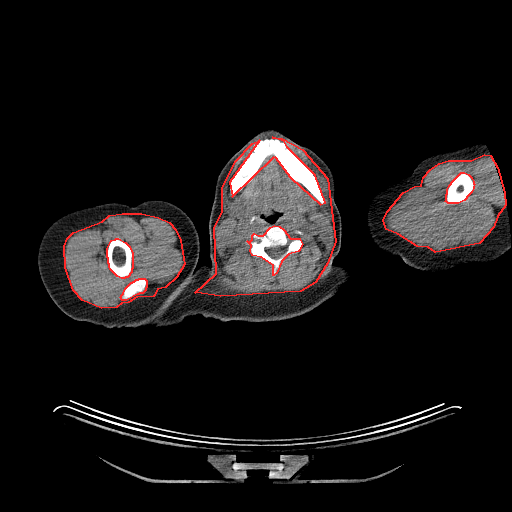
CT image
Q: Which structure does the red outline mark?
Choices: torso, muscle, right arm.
A: red: muscle.
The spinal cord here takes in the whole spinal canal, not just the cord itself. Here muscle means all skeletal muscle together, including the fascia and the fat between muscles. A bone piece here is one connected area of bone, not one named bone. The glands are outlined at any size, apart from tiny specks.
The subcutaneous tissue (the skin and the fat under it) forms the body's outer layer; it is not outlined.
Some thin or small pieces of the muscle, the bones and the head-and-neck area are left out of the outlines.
The muscle appears in 3 outlined pieces: piece 1: 272 137; 282 138; 302 149; 327 178; 335 241; 327 263; 315 282; 300 291; 220 296; 195 292; 216 273; 214 227; 222 212; 222 188; 235 161; 252 143; 259 140; 229 182; 232 196; 274 156; 290 177; 320 204; 325 202; 315 175; 287 147; 284 141; inner edge: 274 225; 279 226; 283 229; 290 238; 299 238; 302 244; 298 251; 288 254; 281 261; 276 273; 273 275; 273 265; 261 257; 252 255; 250 251; 251 245; 247 241; 250 241; 252 239; 252 235; 254 233; 258 235; 263 235; 270 227; piece 2: 122 213; 141 213; 158 217; 169 222; 175 229; 180 240; 184 264; 176 277; 165 287; 157 289; 153 296; 136 297; 128 302; 121 303; 116 307; 101 308; 82 300; 73 290; 65 267; 64 246; 67 238; 73 232; 102 221; 109 215, around holes outlined by 116 238; 118 238; 125 242; 128 245; 132 252; 132 268; 131 269; 131 272; 127 277; 125 277; 124 278; 121 278; 117 276; 110 269; 109 267; 109 264; 108 263; 108 258; 107 257; 107 248; 111 240; 115 239 and by 139 278; 144 278; 146 280; 146 287; 145 288; 145 290; 142 293; 139 293; 138 294; 137 294; 126 300; 122 300; 120 297; 121 296; 121 295; 123 293; 125 288; 131 282; 132 282; 133 281; 134 281; 136 279; 138 279; piece 3: 484 154; 490 155; 497 167; 504 192; 505 205; 497 216; 493 227; 479 243; 435 252; 428 247; 417 246; 398 234; 386 229; 383 220; 387 211; 403 192; 414 186; 421 185; 423 177; 430 169; 439 163; 448 160; 471 160 with a hole at 461 172; 464 172; 468 174; 471 177; 473 181; 473 183; 474 184; 473 186; 473 188; 471 192; 466 197; 466 198; 464 200; 458 203; 448 203; 446 201; 445 201; 446 199; 446 194; 447 193; 447 189; 449 185; 451 183; 451 182. The head and neck is outlined by 268 128; 281 132; 294 142; 308 147; 315 152; 330 168; 335 182; 334 200; 341 216; 341 244; 333 260; 333 263; 336 264; 319 285; 304 290; 273 293; 243 291; 226 280; 210 264; 208 222; 217 177; 227 161; 238 150; 253 136, around a hole outlined by 279 213; 279 216; 278 216; 277 217; 277 219; 275 221; 274 221; 273 222; 270 222; 269 221; 268 221; 267 220; 266 220; 266 217; 267 217; 268 216; 270 216; 271 215; 272 215; 273 214; 278 214. The bones appear in 5 outlined pieces: piece 1: 266 138; 276 138; 284 142; 286 147; 314 175; 324 200; 322 204; 301 183; 296 181; 290 176; 274 155; 269 155; 263 160; 253 178; 240 191; 234 195; 230 193; 229 189; 230 182; 234 174; 244 160; 249 156; 253 150; 254 144; piece 2: 274 225; 279 226; 283 229; 290 238; 299 238; 302 244; 298 251; 288 254; 281 261; 276 273; 273 275; 273 265; 261 257; 252 255; 250 251; 251 245; 247 241; 250 241; 252 239; 252 235; 254 233; 258 235; 263 235; 270 227, around a hole outlined by 278 246; 280 246; 281 247; 285 247; 285 250; 284 251; 284 252; 279 257; 278 257; 277 258; 274 258; 273 257; 271 257; 267 253; 267 252; 265 250; 265 249; 266 248; 269 248; 270 247; 277 247; piece 3: 116 238; 118 238; 125 242; 128 245; 132 252; 132 268; 131 269; 131 272; 127 277; 125 277; 124 278; 121 278; 117 276; 110 269; 109 267; 109 264; 108 263; 108 258; 107 257; 107 248; 111 240; 115 239; piece 4: 461 172; 464 172; 468 174; 471 177; 473 181; 473 183; 474 184; 473 186; 473 188; 471 192; 466 197; 466 198; 464 200; 458 203; 448 203; 446 201; 445 201; 446 199; 446 194; 447 193; 447 189; 449 185; 451 183; 451 182; piece 5: 139 278; 144 278; 146 280; 146 287; 145 288; 145 290; 142 293; 139 293; 138 294; 137 294; 126 300; 122 300; 120 297; 121 296; 121 295; 123 293; 125 288; 131 282; 132 282; 133 281; 134 281; 136 279; 138 279. The submandibular glands are outlined by 238 199; 239 199; 240 200; 241 200; 241 201; 242 202; 243 202; 245 204; 245 210; 243 212; 243 213; 240 213; 239 214; 237 214; 236 213; 234 213; 232 211; 232 210; 230 208; 230 206; 231 205; 231 204; 235 200; 237 200. The left arm is outlined by 478 141; 482 141; 486 145; 497 167; 507 210; 510 235; 509 249; 491 261; 483 263; 469 262; 437 272; 426 272; 415 269; 400 258; 392 256; 380 249; 372 240; 366 223; 366 211; 372 196; 390 183; 409 176; 415 167; 425 158. The torso is outlined by 195 261; 197 268; 203 264; 210 265; 236 289; 253 294; 312 289; 319 286; 337 264; 354 272; 337 293; 317 307; 283 320; 220 321; 199 314; 187 316; 180 323; 166 327; 145 325; 105 328; 83 321; 101 305; 130 287; 180 273. The right arm is outlined by 146 200; 170 202; 181 208; 191 218; 198 231; 200 240; 196 259; 180 272; 130 286; 118 296; 101 304; 82 321; 72 319; 62 312; 51 299; 39 274; 37 256; 39 245; 45 231; 58 218; 77 209; 108 202; 119 202; 134 206. The spinal cord is outlined by 278 246; 280 246; 281 247; 285 247; 285 250; 284 251; 284 252; 279 257; 278 257; 277 258; 274 258; 273 257; 271 257; 267 253; 267 252; 265 250; 265 249; 266 248; 269 248; 270 247; 277 247.